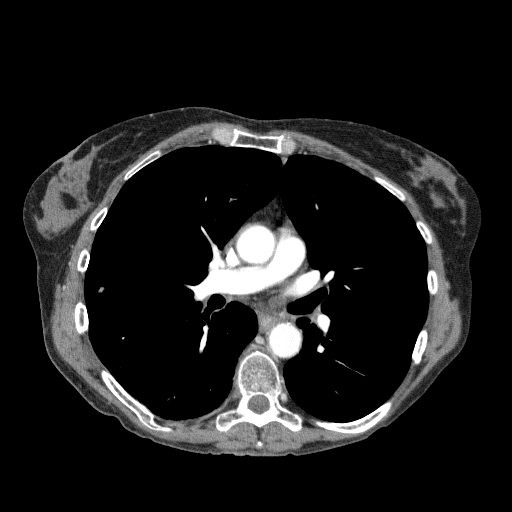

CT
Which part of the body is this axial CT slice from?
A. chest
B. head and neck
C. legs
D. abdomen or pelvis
A. chest
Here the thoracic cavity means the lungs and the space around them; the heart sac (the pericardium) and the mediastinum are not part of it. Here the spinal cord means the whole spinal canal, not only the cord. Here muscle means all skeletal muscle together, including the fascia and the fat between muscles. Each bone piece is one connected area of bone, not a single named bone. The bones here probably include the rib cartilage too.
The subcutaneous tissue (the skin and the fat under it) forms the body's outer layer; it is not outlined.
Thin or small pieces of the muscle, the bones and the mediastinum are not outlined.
{"mediastinum":[[[241,303],[255,309],[269,311],[274,311],[285,306],[286,312],[292,315],[293,321],[302,330],[303,342],[301,349],[297,355],[285,363],[281,373],[275,361],[267,353],[259,349],[252,350],[240,357],[243,350],[255,337],[258,329],[256,314],[250,307]],[[279,189],[280,195],[283,202],[284,209],[293,226],[300,236],[298,234],[287,229],[285,229],[281,226],[279,226],[276,224],[273,224],[270,221],[261,221],[260,222],[247,221],[244,223],[249,216],[253,214],[257,210],[265,206],[276,195]],[[233,236],[231,240],[228,243],[227,247],[223,250],[223,258],[222,258],[220,261],[220,272],[223,278],[222,279],[222,281],[221,279],[221,276],[220,275],[220,271],[217,266],[217,256],[218,255],[218,253],[224,247],[224,246],[227,243],[227,242]]],"pericardium":[[[247,222],[270,222],[273,225],[298,235],[304,243],[303,251],[307,256],[307,272],[300,282],[300,290],[291,302],[274,310],[255,308],[246,303],[236,300],[223,281],[224,278],[221,272],[221,261],[224,258],[224,250],[228,247],[229,243],[240,228]]],"thoracic_cavity":[[[206,140],[271,152],[283,165],[300,150],[334,160],[414,220],[425,320],[400,383],[364,416],[317,418],[284,385],[304,342],[286,306],[311,266],[279,188],[216,256],[232,300],[257,323],[217,408],[158,417],[94,350],[84,282],[97,230],[126,181]]],"torso":[[[183,106],[214,107],[257,119],[321,117],[374,125],[446,158],[476,191],[482,220],[470,257],[467,340],[425,393],[390,425],[364,440],[305,455],[193,453],[126,430],[115,417],[92,407],[50,360],[36,259],[22,219],[29,187],[93,133],[134,116]]],"spinal_cord":[[[256,395],[262,395],[263,396],[264,396],[268,400],[268,408],[266,410],[265,410],[262,412],[260,412],[259,413],[258,412],[255,412],[253,410],[252,410],[251,409],[250,409],[248,406],[248,403],[249,402],[249,400],[253,396],[255,396]]],"muscle":[{"outer":[[211,121],[240,124],[257,133],[293,130],[311,135],[379,170],[409,192],[439,243],[450,296],[459,300],[462,327],[458,342],[395,412],[374,426],[388,414],[391,396],[410,365],[420,363],[428,343],[424,324],[429,295],[438,290],[437,272],[428,268],[426,244],[433,241],[428,226],[412,217],[404,204],[405,194],[381,176],[375,174],[372,179],[334,159],[304,149],[296,151],[298,143],[289,134],[257,134],[223,125],[214,126],[197,144],[166,153],[159,148],[149,152],[123,175],[124,183],[109,207],[104,205],[94,214],[89,225],[94,233],[90,250],[83,247],[76,261],[76,269],[84,276],[84,301],[78,299],[73,307],[75,329],[80,335],[87,333],[103,365],[99,372],[102,382],[150,430],[174,430],[157,417],[183,421],[213,415],[220,432],[241,422],[258,429],[278,422],[297,432],[303,426],[304,412],[316,418],[313,424],[320,428],[362,434],[281,451],[224,449],[213,443],[162,439],[108,404],[56,351],[51,334],[55,287],[64,281],[71,246],[89,214],[113,179],[141,154],[182,129]],"hole":[[258,440],[259,440],[260,440],[261,441],[262,442],[263,443],[263,444],[263,445],[262,446],[261,447],[260,447],[259,448],[258,448],[257,447],[256,447],[256,446],[256,445],[256,444],[256,443],[256,442],[257,441]]}],"bones":[{"outer":[[255,350],[267,354],[274,361],[283,378],[283,385],[293,407],[303,412],[302,426],[299,430],[293,431],[278,421],[270,421],[260,428],[246,421],[238,422],[226,431],[220,431],[216,428],[214,415],[210,414],[230,395],[234,387],[235,372],[240,358]],"hole":[[256,395],[262,395],[263,396],[264,396],[268,400],[268,408],[266,410],[265,410],[262,412],[260,412],[259,413],[258,412],[255,412],[253,410],[252,410],[251,409],[250,409],[248,406],[248,403],[249,402],[249,400],[253,396],[255,396]]},[[217,126],[223,126],[230,130],[233,128],[236,128],[239,130],[253,133],[257,135],[280,135],[281,134],[289,135],[296,141],[297,148],[295,152],[291,154],[286,154],[285,153],[275,153],[255,147],[223,145],[214,140],[207,139],[210,131],[214,127]],[[104,367],[132,397],[144,405],[155,415],[156,417],[155,419],[159,423],[163,425],[167,425],[171,427],[173,430],[172,431],[161,431],[160,430],[150,429],[145,426],[139,420],[138,417],[128,407],[121,402],[111,392],[103,382],[100,376],[100,372]],[[390,398],[392,398],[392,405],[387,414],[376,424],[363,432],[360,432],[359,433],[339,432],[338,431],[326,429],[314,424],[314,420],[315,419],[319,419],[323,421],[328,421],[329,422],[339,422],[340,423],[351,422],[357,420],[369,414]],[[78,300],[82,300],[82,301],[84,302],[85,304],[85,306],[86,307],[86,312],[87,313],[87,318],[88,319],[88,330],[87,332],[85,332],[82,334],[80,334],[77,331],[76,329],[76,326],[75,325],[75,320],[74,319],[74,307]],[[423,327],[424,327],[427,330],[427,343],[426,344],[425,349],[421,356],[421,359],[419,363],[415,365],[412,365],[411,364],[411,356],[412,355],[412,352],[413,351],[413,349],[414,348],[414,346],[415,345],[415,343],[416,342],[417,337],[421,329]],[[156,149],[159,149],[162,152],[163,154],[161,156],[158,157],[153,161],[150,162],[148,164],[147,164],[145,166],[141,168],[127,180],[125,181],[123,180],[123,177],[124,175],[135,164],[136,164],[139,161],[140,161],[149,153],[152,152]],[[375,175],[385,179],[388,182],[389,182],[395,187],[396,187],[398,189],[399,189],[404,194],[404,195],[406,197],[406,200],[405,200],[403,202],[402,201],[401,201],[387,189],[386,189],[379,183],[378,183],[376,181],[375,181],[373,179],[373,177]],[[104,206],[108,206],[108,209],[107,210],[106,215],[104,217],[104,218],[103,219],[103,220],[101,222],[100,225],[96,230],[95,233],[90,230],[90,225],[91,224],[92,219],[93,218],[93,217],[95,215],[95,214],[102,207],[103,207]],[[416,220],[421,220],[427,226],[427,227],[430,232],[430,234],[431,235],[431,239],[432,240],[432,241],[430,244],[427,244],[424,241],[424,240],[423,239],[423,238],[422,237],[422,236],[421,235],[421,234],[416,225],[416,223],[415,222],[415,221]]]}